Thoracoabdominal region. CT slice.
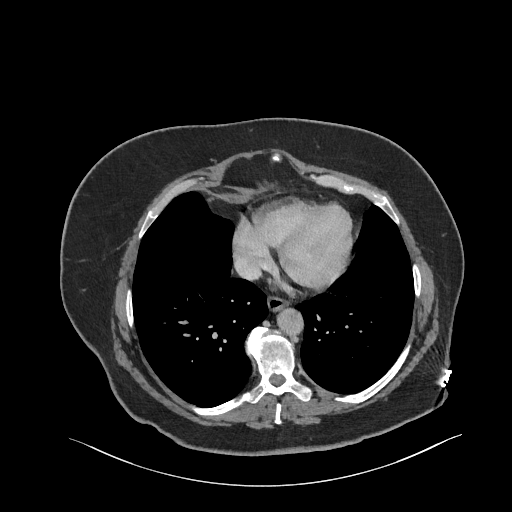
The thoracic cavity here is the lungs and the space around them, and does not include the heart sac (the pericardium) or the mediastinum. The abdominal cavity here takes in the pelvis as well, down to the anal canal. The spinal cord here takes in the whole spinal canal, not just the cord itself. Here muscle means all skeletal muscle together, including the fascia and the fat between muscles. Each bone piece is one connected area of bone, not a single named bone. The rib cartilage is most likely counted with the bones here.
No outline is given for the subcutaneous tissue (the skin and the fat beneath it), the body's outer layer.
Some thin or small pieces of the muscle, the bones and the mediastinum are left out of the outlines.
Outlines (x, y in pixels):
bones 1: 259,325 279,330 289,339 296,362 308,377 299,374 296,368 293,374 311,388 310,399 302,401 291,392 265,393 256,403 245,401 217,415 199,415 191,410 186,402 215,406 259,383 257,364 245,351 248,334 with a hole at 273,374 280,374 281,375 282,375 284,377 284,381 281,384 280,384 279,385 274,385 273,384 272,384 271,383 271,382 270,381 270,377 271,376 271,375 272,375
bones 2: 312,173 313,174 331,174 348,180 350,178 355,177 365,180 370,186 388,197 389,201 399,216 400,220 399,225 398,226 378,206 375,205 365,196 359,193 346,194 331,187 324,187 318,185 310,180 309,176
bones 3: 409,340 411,341 411,347 404,362 396,374 381,389 376,392 372,396 359,403 349,403 348,402 342,402 341,401 337,401 334,399 336,396 343,396 347,394 353,394 354,393 357,393 373,384 391,367
bones 4: 192,177 203,177 204,179 202,180 199,180 194,186 195,188 185,191 184,192 182,192 176,195 164,207 158,216 146,230 140,240 138,239 138,233 140,230 142,223 145,218 147,211 162,197 166,190 171,185
bones 5: 413,262 416,262 417,263 417,264 420,269 420,272 421,273 421,292 420,293 420,295 419,296 419,297 418,297 417,298 416,297 415,297 415,293 414,292 414,286 413,285 413,274 412,273 412,263
bones 6: 129,287 130,287 131,289 131,301 132,302 132,307 133,308 133,327 130,327 129,326 128,324 128,322 127,321 127,319 126,318 126,314 125,313 125,298 126,297 126,290 127,288
bones 7: 278,402 279,403 280,403 280,404 281,405 281,410 280,411 280,418 281,419 281,420 282,421 282,422 280,424 276,424 274,422 274,418 275,417 275,412 276,411 276,404
thoracic cavity 1: 188,191 199,192 214,214 233,223 230,275 253,282 265,294 268,308 266,317 249,331 244,341 245,354 254,360 260,374 258,383 211,406 186,401 160,379 141,349 134,326 131,288 140,241 165,207 176,196
thoracic cavity 2: 372,204 378,207 398,227 408,252 414,293 412,321 406,343 390,367 365,388 357,392 340,395 315,383 297,362 296,350 301,346 305,325 299,306 303,302 327,292 347,270 354,256 354,249 363,223 364,212
abdominal cavity: 255,156 268,156 269,159 272,161 288,163 300,175 298,181 295,184 268,185 241,198 231,198 222,196 216,193 209,192 206,189 212,189 218,186 223,180 226,169 232,163 240,159 250,159
pericardium: 288,189 313,189 336,193 349,201 362,219 361,226 357,232 353,245 351,261 345,271 326,289 305,298 297,298 287,293 274,283 262,271 253,259 236,253 233,249 232,244 236,226 234,213 238,205 266,191
mediastinum 1: 233,250 239,256 245,256 253,260 274,284 294,298 305,299 319,294 328,288 327,291 303,301 298,306 304,324 299,348 295,349 290,339 279,329 272,329 260,324 267,317 269,312 267,296 253,281 231,275
mediastinum 2: 301,177 346,195 359,194 365,197 372,203 363,212 362,218 349,200 333,191 313,188 270,189 236,206 233,213 235,226 229,218 214,213 199,191 191,190 205,189 222,197 241,199 268,186 293,186
torso: 262,117 342,123 376,132 399,144 430,175 461,237 464,279 454,316 450,360 442,380 446,397 426,414 357,443 257,456 215,453 178,443 127,412 62,304 59,254 66,213 80,181 104,154 134,136 159,128
spinal cord: 273,374 280,374 281,375 282,375 284,377 284,381 281,384 280,384 279,385 274,385 273,384 272,384 271,383 271,382 270,381 270,377 271,376 271,375 272,375
muscle: 264,148 281,148 297,158 308,163 320,166 331,167 346,172 363,175 380,187 388,191 394,200 395,204 406,219 417,243 421,247 422,253 425,259 431,266 434,277 434,283 437,288 439,300 438,302 439,308 438,320 440,325 439,334 430,349 427,351 413,370 387,396 386,399 379,399 364,407 361,407 345,413 331,415 324,414 320,416 321,419 318,423 307,425 294,424 291,421 287,421 285,423 281,424 283,422 281,418 282,405 278,401 275,404 275,411 273,418 273,422 276,425 272,428 255,429 247,426 243,422 233,423 229,426 202,425 173,412 157,401 142,389 132,378 130,374 125,369 118,365 114,359 114,354 112,351 110,317 115,286 118,279 117,271 120,265 120,258 127,244 126,241 132,234 133,229 136,225 138,219 142,214 145,207 167,182 187,171 210,165 215,161 219,161 238,152 243,152 249,150 258,150 with a hole at 275,153 305,180 312,173 360,178 388,197 399,216 398,229 410,261 421,273 421,292 414,298 407,338 411,347 396,374 359,403 335,400 338,393 296,368 295,378 312,390 308,401 291,392 265,393 256,403 245,401 221,414 199,415 160,379 141,349 135,327 128,324 125,298 132,287 138,233 147,211 171,185 203,177 194,187 212,189 235,161